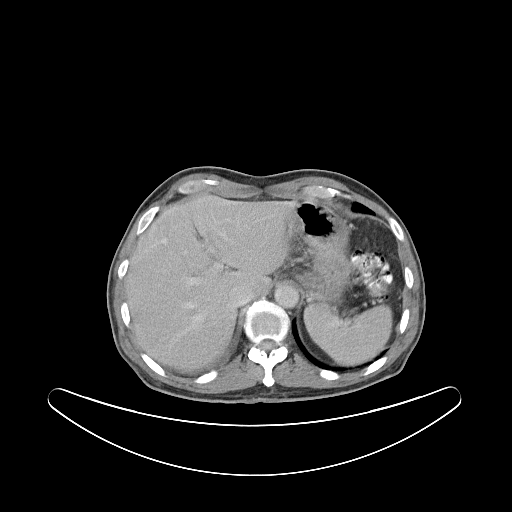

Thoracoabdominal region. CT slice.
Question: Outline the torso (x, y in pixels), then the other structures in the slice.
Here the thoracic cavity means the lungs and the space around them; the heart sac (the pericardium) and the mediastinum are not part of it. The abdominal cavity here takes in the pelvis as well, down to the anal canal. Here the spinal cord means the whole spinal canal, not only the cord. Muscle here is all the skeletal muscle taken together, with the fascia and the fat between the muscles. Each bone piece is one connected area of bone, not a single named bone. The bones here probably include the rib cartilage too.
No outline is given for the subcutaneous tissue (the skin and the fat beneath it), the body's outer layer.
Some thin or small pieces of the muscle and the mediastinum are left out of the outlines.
Answer: The torso is outlined by 193 166; 219 166; 252 175; 306 168; 331 170; 358 180; 382 197; 407 227; 420 259; 425 283; 422 332; 402 370; 395 376; 355 392; 281 403; 193 401; 153 390; 144 384; 114 344; 106 305; 108 271; 115 250; 141 202; 170 175. The muscle appears in 2 outlined pieces: piece 1: 194 173; 211 173; 234 182; 259 188; 305 176; 327 177; 339 181; 351 190; 375 201; 390 215; 386 217; 388 225; 367 206; 357 201; 350 201; 353 198; 349 193; 321 184; 305 185; 301 189; 299 196; 291 198; 273 197; 266 194; 258 197; 242 198; 227 197; 208 189; 202 189; 205 186; 217 186; 220 182; 216 179; 194 178; 182 182; 176 189; 179 194; 168 200; 163 207; 161 208; 159 205; 151 206; 139 217; 135 230; 135 233; 139 236; 129 259; 124 258; 120 262; 117 268; 117 277; 119 279; 124 277; 125 301; 120 304; 121 319; 127 328; 131 327; 131 331; 143 351; 140 353; 143 361; 150 369; 162 377; 167 376; 167 371; 177 376; 194 377; 193 381; 198 384; 208 383; 217 377; 217 369; 231 360; 238 352; 243 334; 250 343; 246 354; 248 359; 263 368; 264 373; 261 379; 263 385; 257 384; 222 393; 201 393; 175 387; 152 378; 125 353; 120 344; 113 307; 113 276; 120 252; 141 213; 163 196; 173 183; piece 2: 405 234; 415 261; 419 279; 419 316; 417 329; 413 339; 407 348; 389 367; 376 375; 360 382; 340 387; 328 388; 285 387; 277 385; 275 389; 272 389; 270 387; 275 383; 272 370; 276 364; 283 361; 288 356; 288 348; 284 342; 290 332; 303 356; 310 363; 319 368; 319 376; 326 380; 337 380; 341 376; 339 373; 354 372; 364 368; 361 374; 366 376; 379 369; 386 362; 388 356; 385 353; 394 340; 397 330; 400 334; 402 334; 407 327; 410 317; 410 310; 407 307; 403 309; 402 306; 403 293; 405 286; 408 289; 413 286; 414 276; 412 270; 407 265; 403 269; 400 261; 397 243; 397 240; 401 242; 405 240. The abdominal cavity is outlined by 200 190; 242 199; 291 199; 302 193; 379 217; 396 239; 404 281; 402 311; 388 349; 363 368; 320 364; 297 333; 293 316; 300 289; 278 279; 249 304; 237 352; 216 369; 195 377; 177 375; 144 352; 126 301; 130 258; 168 201. The thoracic cavity appears in 2 outlined pieces: piece 1: 293 317; 294 317; 293 321; 295 324; 296 333; 301 345; 306 353; 315 360; 316 362; 320 365; 326 366; 334 370; 360 369; 354 371; 338 372; 332 369; 319 367; 310 362; 304 356; 298 347; 291 332; 291 324; 292 323; 291 320; piece 2: 352 202; 357 202; 358 203; 360 203; 364 206; 365 206; 369 209; 370 209; 374 213; 368 213; 367 212; 364 212; 363 211; 360 211; 359 210; 356 210; 355 209; 353 209; 353 208; 352 207; 352 204; 353 203. The mediastinum is outlined by 278 280; 289 280; 293 282; 293 283; 295 284; 295 285; 297 286; 299 289; 299 292; 300 293; 299 303; 297 304; 297 307; 291 319; 288 313; 281 306; 278 305; 275 302; 271 301; 264 297; 266 294; 267 294; 270 291; 274 284. The spinal cord is outlined by 265 339; 270 339; 271 340; 273 340; 276 343; 276 344; 277 345; 277 347; 276 347; 275 348; 272 349; 269 352; 266 352; 264 350; 263 350; 262 349; 260 349; 258 347; 258 345; 260 343; 260 342; 261 341; 262 341. The bones appear in 13 outlined pieces: piece 1: 262 298; 281 307; 287 313; 291 322; 290 331; 283 342; 287 348; 287 356; 272 368; 271 374; 274 383; 269 387; 265 386; 262 382; 265 373; 264 368; 259 363; 250 360; 247 355; 251 343; 245 336; 243 329; 245 313; 250 304, around a hole outlined by 265 339; 270 339; 271 340; 273 340; 276 343; 276 344; 277 345; 277 347; 276 347; 275 348; 272 349; 269 352; 266 352; 264 350; 263 350; 262 349; 260 349; 258 347; 258 345; 260 343; 260 342; 261 341; 262 341; piece 2: 310 185; 321 185; 324 187; 330 187; 331 188; 339 190; 343 193; 346 193; 347 194; 349 194; 352 198; 351 199; 345 199; 339 196; 335 196; 331 198; 320 198; 319 197; 309 197; 302 192; 302 189; 305 186; 309 186; piece 3: 194 179; 212 179; 213 180; 216 180; 218 181; 219 183; 217 185; 205 185; 204 187; 203 187; 201 189; 197 191; 192 192; 191 193; 180 193; 178 192; 177 190; 178 187; 182 183; 188 180; 193 180; piece 4: 154 206; 159 206; 160 207; 159 210; 155 214; 153 219; 151 221; 151 222; 149 224; 149 225; 139 235; 138 235; 136 233; 136 230; 137 229; 137 225; 138 224; 138 221; 139 220; 140 217; 148 209; 149 209; 151 207; 153 207; piece 5: 389 216; 391 216; 393 217; 398 222; 398 223; 402 228; 404 232; 404 240; 403 241; 401 241; 397 239; 394 235; 394 234; 392 232; 392 231; 390 229; 390 227; 389 226; 389 224; 387 220; 387 217; piece 6: 141 353; 145 353; 146 354; 147 354; 154 361; 155 361; 160 366; 161 366; 161 367; 164 369; 164 370; 165 371; 165 373; 166 374; 166 376; 162 376; 161 375; 158 374; 151 368; 150 368; 142 358; 142 357; 141 356; piece 7: 384 354; 385 354; 387 356; 387 359; 385 361; 385 362; 379 368; 378 368; 376 370; 375 370; 366 375; 363 375; 362 374; 364 372; 365 367; 366 367; 369 364; 370 364; 376 359; 377 359; 379 357; 380 357; 382 355; 383 355; piece 8: 211 370; 216 370; 217 371; 217 375; 216 376; 216 377; 214 379; 213 379; 208 382; 205 382; 204 383; 198 383; 197 382; 195 382; 194 381; 194 379; 196 377; 197 377; 202 374; 204 374; 207 372; 209 372; piece 9: 405 308; 407 308; 409 310; 409 317; 408 318; 408 321; 407 322; 407 324; 406 325; 406 327; 405 328; 404 331; 402 333; 400 333; 398 330; 398 325; 399 324; 399 322; 400 321; 400 319; 401 318; 401 315; 402 314; 402 312; piece 10: 320 368; 323 368; 324 369; 328 369; 329 370; 332 370; 333 371; 335 371; 336 372; 337 372; 340 375; 340 376; 337 379; 333 379; 332 380; 331 379; 326 379; 325 378; 324 378; 323 377; 320 376; 320 375; 319 374; 319 369; piece 11: 123 302; 126 302; 127 303; 127 307; 128 308; 128 310; 129 311; 129 317; 130 318; 130 322; 129 323; 129 324; 130 325; 130 327; 127 327; 125 325; 125 324; 124 323; 124 322; 122 319; 122 316; 121 315; 121 304; piece 12: 406 266; 407 266; 411 270; 411 272; 412 273; 412 275; 413 276; 413 284; 412 285; 412 286; 410 288; 408 288; 405 285; 405 281; 404 280; 404 268; piece 13: 124 259; 128 259; 129 260; 129 263; 128 264; 128 266; 127 267; 127 270; 126 271; 126 272; 125 273; 125 275; 122 278; 119 278; 118 277; 118 268; 119 267; 119 266; 120 265; 120 264; 121 263; 121 262.